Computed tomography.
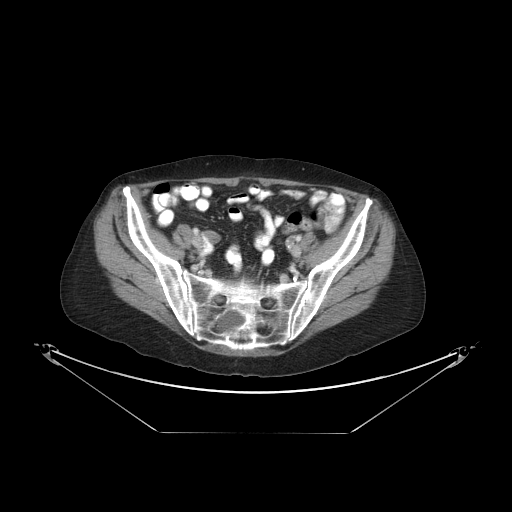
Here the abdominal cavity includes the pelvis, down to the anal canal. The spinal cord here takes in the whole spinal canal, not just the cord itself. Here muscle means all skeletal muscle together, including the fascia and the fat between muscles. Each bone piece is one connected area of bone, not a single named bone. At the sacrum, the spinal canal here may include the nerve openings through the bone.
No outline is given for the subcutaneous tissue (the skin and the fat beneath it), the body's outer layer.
{"spinal_cord":[[[259,326],[265,326],[266,327],[267,327],[269,329],[269,332],[267,334],[263,334],[262,333],[260,333],[257,330],[257,328]],[[264,298],[270,298],[273,301],[273,303],[271,305],[268,305],[267,306],[265,306],[262,303],[262,300]],[[214,327],[216,327],[217,328],[218,327],[221,327],[223,329],[223,331],[221,333],[218,333],[217,332],[216,333],[214,333],[212,331],[212,329]],[[219,296],[220,296],[221,296],[222,296],[223,297],[224,298],[224,299],[224,300],[224,301],[223,302],[222,303],[221,304],[220,304],[219,304],[218,304],[217,303],[216,302],[216,301],[216,300],[216,299],[217,298],[218,297]],[[234,339],[248,339],[249,340],[248,340],[247,341],[243,341],[242,342],[241,342],[240,341],[236,341],[235,340],[234,340]]],"muscle":[{"outer":[[239,175],[254,175],[255,176],[267,177],[268,178],[283,178],[284,179],[294,180],[295,181],[301,181],[307,183],[320,183],[321,184],[335,185],[359,193],[365,193],[372,197],[375,197],[379,200],[382,206],[388,212],[395,226],[395,248],[394,249],[394,254],[393,255],[393,263],[390,269],[388,275],[388,278],[387,280],[383,283],[374,301],[368,308],[352,317],[350,317],[333,326],[331,326],[324,330],[318,332],[315,335],[303,343],[282,354],[279,355],[269,355],[268,356],[259,356],[258,357],[251,357],[250,356],[247,357],[240,357],[239,356],[226,356],[225,355],[216,354],[205,350],[202,350],[196,347],[194,345],[186,341],[181,336],[178,335],[169,329],[165,325],[162,324],[149,315],[127,304],[119,298],[112,291],[109,281],[107,277],[104,274],[104,269],[99,264],[94,250],[93,222],[97,213],[106,202],[111,190],[114,187],[119,184],[143,183],[148,181],[155,181],[156,180],[165,179],[166,178],[234,177]],"hole":[[178,180],[342,194],[352,211],[341,229],[301,239],[307,271],[337,250],[372,199],[359,249],[293,340],[231,349],[198,341],[179,323],[129,236],[122,193],[129,186],[151,241],[182,267],[191,227],[179,223],[169,239],[142,200],[155,185]]}],"abdominal_cavity":[[[178,180],[330,189],[342,194],[352,211],[331,237],[319,240],[312,232],[303,235],[300,246],[308,271],[304,278],[255,283],[242,276],[225,281],[183,267],[194,237],[187,223],[176,226],[171,240],[150,221],[142,198],[155,185]]],"torso":[[[206,154],[282,157],[309,161],[347,173],[380,188],[391,200],[422,268],[426,301],[419,324],[401,335],[331,365],[299,374],[259,377],[207,373],[142,356],[123,343],[110,341],[72,323],[61,307],[60,275],[77,232],[105,185],[127,171]]],"bones":[{"outer":[[125,185],[129,186],[148,236],[158,250],[198,276],[225,282],[244,277],[255,284],[304,279],[315,265],[337,250],[365,199],[370,197],[373,201],[359,249],[334,276],[305,328],[284,345],[245,350],[198,341],[179,323],[154,267],[129,236],[122,193]],"holes":[[[259,326],[265,326],[266,327],[267,327],[269,329],[269,332],[267,334],[263,334],[262,333],[260,333],[257,330],[257,328]],[[264,298],[270,298],[273,301],[273,303],[271,305],[268,305],[267,306],[265,306],[262,303],[262,300]],[[214,327],[216,327],[217,328],[218,327],[221,327],[223,329],[223,331],[221,333],[218,333],[217,332],[216,333],[214,333],[212,331],[212,329]],[[219,296],[220,296],[221,296],[222,296],[223,297],[224,298],[224,299],[224,300],[224,301],[223,302],[222,303],[221,304],[220,304],[219,304],[218,304],[217,303],[216,302],[216,301],[216,300],[216,299],[217,298],[218,297]]]}]}